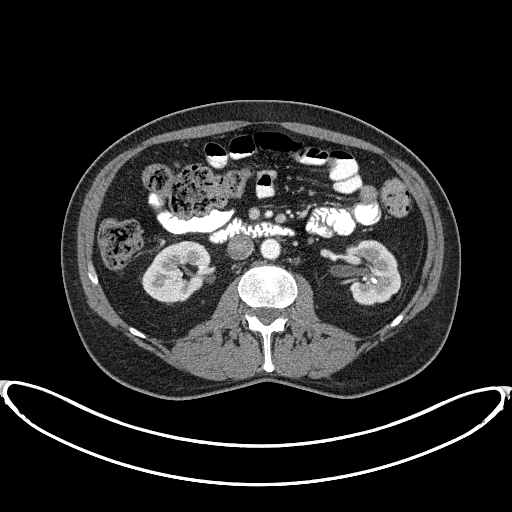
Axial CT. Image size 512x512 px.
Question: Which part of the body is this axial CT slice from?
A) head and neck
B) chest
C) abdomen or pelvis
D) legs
Answer: C) abdomen or pelvis
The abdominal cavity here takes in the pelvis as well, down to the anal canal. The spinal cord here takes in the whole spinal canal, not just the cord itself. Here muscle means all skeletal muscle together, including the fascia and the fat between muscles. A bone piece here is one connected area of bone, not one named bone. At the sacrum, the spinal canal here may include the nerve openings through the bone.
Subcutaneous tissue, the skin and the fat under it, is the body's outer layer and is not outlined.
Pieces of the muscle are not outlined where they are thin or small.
Outlined structures:
spinal cord: (264, 324) (269, 324) (273, 320) (274, 320) (277, 317) (279, 317) (280, 316) (281, 316) (281, 310) (280, 309) (277, 309) (276, 308) (268, 308) (267, 307) (261, 307) (260, 308) (256, 308) (255, 309) (254, 309) (252, 312) (252, 314) (253, 314) (254, 315) (255, 315)
abdominal cavity: (166, 340) (181, 337) (208, 319) (228, 284) (263, 263) (283, 266) (307, 279) (321, 321) (359, 336) (379, 329) (412, 297) (425, 259) (425, 227) (411, 192) (386, 160) (373, 152) (271, 124) (142, 150) (118, 170) (105, 194) (96, 222) (93, 261) (102, 288) (120, 317)
muscle: (211, 380) (237, 380) (267, 372) (261, 368) (262, 338) (245, 323) (243, 312) (247, 308) (236, 289) (239, 277) (223, 292) (208, 320) (185, 336) (166, 341) (132, 335) (99, 282) (94, 286) (86, 274) (87, 263) (93, 266) (97, 215) (117, 170) (154, 143) (259, 123) (370, 150) (387, 160) (412, 192) (424, 219) (427, 254) (420, 283) (398, 325) (390, 328) (387, 324) (359, 337) (321, 322) (313, 309) (311, 286) (294, 274) (298, 295) (286, 309) (289, 323) (282, 332) (272, 334) (275, 368) (271, 372) (319, 378) (394, 335) (437, 291) (444, 256) (443, 229) (429, 189) (414, 169) (367, 141) (325, 128) (299, 122) (229, 120) (152, 136) (100, 170) (85, 196) (77, 226) (78, 269) (88, 304) (140, 347) (177, 369)
bones 1: (268, 372) (274, 368) (271, 361) (270, 337) (273, 332) (282, 331) (288, 323) (285, 309) (296, 297) (297, 285) (291, 272) (283, 267) (263, 264) (248, 269) (240, 277) (237, 289) (241, 299) (248, 308) (244, 312) (248, 328) (258, 331) (263, 338) (264, 362) (262, 368) with a hole at (264, 324) (269, 324) (273, 320) (274, 320) (277, 317) (279, 317) (280, 316) (281, 316) (281, 310) (280, 309) (277, 309) (276, 308) (268, 308) (267, 307) (261, 307) (260, 308) (256, 308) (255, 309) (254, 309) (252, 312) (252, 314) (253, 314) (254, 315) (255, 315)
bones 2: (94, 285) (98, 285) (98, 279) (97, 278) (97, 275) (95, 272) (95, 270) (93, 268) (93, 267) (92, 266) (92, 265) (90, 263) (90, 262) (89, 262) (88, 263) (88, 271) (87, 272) (87, 274) (88, 275) (88, 276) (89, 277) (89, 278) (90, 279) (91, 282)
bones 3: (141, 338) (147, 338) (147, 337) (145, 334) (144, 334) (142, 332) (141, 332) (140, 331) (139, 331) (137, 329) (136, 329) (135, 328) (134, 328) (132, 326) (129, 326) (128, 327) (128, 329) (129, 330) (129, 331) (132, 334) (133, 334) (136, 336) (138, 336)
bones 4: (390, 327) (393, 327) (394, 326) (395, 326) (397, 324) (398, 324) (400, 322) (400, 321) (403, 318) (403, 315) (401, 313) (400, 313) (397, 316) (396, 316) (390, 322) (390, 323) (388, 325) (388, 326) (389, 326)
torso: (172, 400) (265, 381) (347, 399) (388, 388) (423, 370) (447, 339) (461, 276) (457, 223) (447, 196) (429, 168) (401, 142) (357, 117) (288, 100) (228, 100) (178, 110) (143, 124) (102, 151) (78, 181) (64, 216) (60, 262) (67, 303) (86, 351) (102, 371) (126, 387)